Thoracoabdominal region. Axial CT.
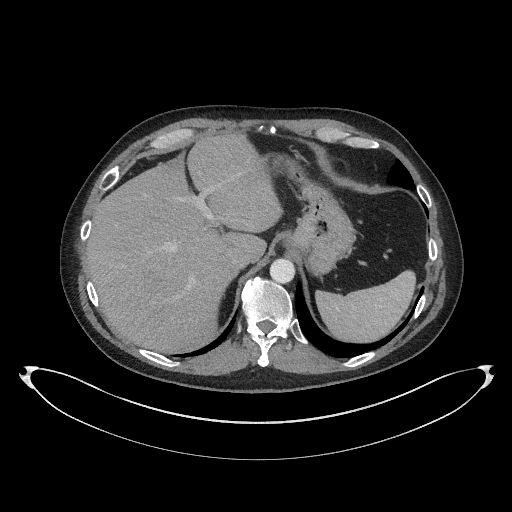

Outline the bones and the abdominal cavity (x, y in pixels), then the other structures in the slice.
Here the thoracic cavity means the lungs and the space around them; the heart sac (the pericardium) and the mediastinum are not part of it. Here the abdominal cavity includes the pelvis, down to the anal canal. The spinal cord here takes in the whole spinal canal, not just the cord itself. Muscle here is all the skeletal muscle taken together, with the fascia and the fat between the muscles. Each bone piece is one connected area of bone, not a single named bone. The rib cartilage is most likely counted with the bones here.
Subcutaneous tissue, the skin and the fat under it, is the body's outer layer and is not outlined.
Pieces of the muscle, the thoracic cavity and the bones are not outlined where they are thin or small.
The bones appear in 11 outlined pieces: piece 1: 262,367 266,366 269,362 267,351 270,346 279,337 287,338 289,331 302,343 307,344 308,340 299,327 288,292 279,284 255,276 248,279 244,284 241,292 241,311 245,317 246,332 260,346 261,354 257,362; inner edge: 265,333 266,333 267,332 270,331 275,326 275,325 273,323 270,322 268,320 264,320 263,321 261,321 260,322 257,323 257,325 259,327 259,328 261,330 262,330; piece 2: 359,148 379,148 380,144 373,139 368,139 359,136 354,136 351,135 348,132 343,131 335,127 322,127 317,129 315,131 316,138 322,141 336,142 339,140 341,143 343,143 346,145 349,145 352,147 358,147; piece 3: 158,149 160,148 169,147 170,145 172,145 181,139 183,139 186,137 189,137 193,135 193,130 190,128 179,128 178,129 172,130 171,131 166,132 163,134 158,135 154,139 149,142 149,146 150,147 155,147; piece 4: 103,191 109,189 112,186 113,186 119,179 119,178 120,177 119,176 120,171 119,170 119,166 118,165 115,165 113,167 112,167 110,169 109,169 103,175 103,176 100,181 100,184 99,185 99,188; piece 5: 167,366 177,366 180,364 180,362 179,361 174,361 161,354 159,354 156,352 150,351 149,350 147,350 143,348 139,348 138,349 138,351 142,355 145,356 147,358 151,360 153,360 160,364 166,365; piece 6: 349,367 353,367 354,366 356,366 368,360 370,358 374,356 376,352 374,350 372,350 371,351 366,352 363,354 361,354 360,355 358,355 357,356 355,356 354,357 347,359 342,363 342,365 344,366 348,366; piece 7: 428,209 429,208 430,208 430,207 431,206 431,199 430,198 429,193 426,189 426,188 423,185 422,185 420,183 418,183 417,184 416,184 416,191 417,192 418,195 420,197 421,200 425,204 425,205; piece 8: 96,307 97,307 99,305 98,304 97,295 96,294 95,289 93,286 93,284 91,282 91,281 90,280 89,280 88,281 87,281 87,283 86,284 86,289 87,290 87,293 88,294 88,296 89,297 91,302; piece 9: 411,319 415,319 421,312 421,311 424,306 424,304 425,303 425,300 426,299 426,296 424,293 423,293 421,295 421,296 419,298 417,303 415,305 415,307 414,308 414,310 413,311 413,313 412,314; piece 10: 432,261 433,261 434,260 435,260 435,259 436,258 436,257 437,256 437,245 436,244 436,242 435,241 435,240 433,238 431,238 430,237 429,238 429,239 428,240 428,257 429,258 429,259 430,260 431,260; piece 11: 82,241 85,241 87,239 87,238 89,235 89,231 90,230 90,228 91,227 91,221 90,220 90,219 87,219 84,222 83,222 83,223 81,226 81,228 80,229 80,238. The abdominal cavity is outlined by 164,355 215,339 240,311 244,282 276,254 298,264 306,304 326,335 346,343 381,339 407,316 425,278 429,237 418,197 412,190 340,175 315,140 281,129 273,135 214,129 138,153 96,206 88,265 112,327. The mediastinum appears in 2 outlined pieces: piece 1: 373,184 386,184 387,183 386,175 395,158 389,152 379,149 352,148 340,143 327,143 322,142 315,138 311,138 315,139 318,143 323,146 329,156 339,157 342,159 349,170 350,175 355,180 360,182 366,182; piece 2: 293,301 295,287 296,284 299,281 299,276 297,271 297,264 291,258 287,256 284,255 276,255 272,257 264,264 251,277 253,277 255,275 258,275 265,278 268,278 277,283 279,283 289,292 292,297. The pericardium is outlined by 347,176 350,176 348,173 348,170 346,168 346,167 345,166 344,163 342,161 342,160 341,160 339,158 331,158 330,157 329,157 330,162 333,166 334,169 338,173 339,173 340,174 342,174 343,175 346,175. The torso is outlined by 232,393 291,392 376,374 419,354 449,320 461,291 464,269 452,207 430,167 407,138 386,121 358,110 328,106 206,104 175,108 128,129 78,190 61,232 59,272 66,300 86,335 112,361 140,375 190,388. The spinal cord is outlined by 265,333 266,333 267,332 270,331 275,326 275,325 273,323 270,322 268,320 264,320 263,321 261,321 260,322 257,323 257,325 259,327 259,328 261,330 262,330. The thoracic cavity appears in 3 outlined pieces: piece 1: 344,358 376,349 389,341 406,324 411,316 413,308 404,321 395,330 381,340 371,344 346,344 326,336 315,325 305,304 301,285 299,282 296,287 293,303 295,315 299,321 303,333 311,343 325,353 335,357; piece 2: 417,195 415,191 415,184 413,182 409,172 399,160 395,159 395,161 390,168 388,172 388,174 387,175 387,181 388,183 392,185 397,185 398,186 404,187 408,189 412,189 414,191 414,192 416,193; piece 3: 172,359 173,358 183,358 188,356 198,355 204,353 218,345 225,339 233,328 235,324 235,321 236,320 236,317 238,314 238,312 238,313 237,314 236,314 232,318 224,331 222,332 222,333 215,340 197,350 194,350 188,353 178,354 175,356 166,356. The muscle is outlined by 198,375 253,371 261,367 256,362 259,346 245,332 240,312 237,319 241,319 243,328 239,333 235,325 212,350 173,359 181,364 167,367 142,356 137,351 139,346 111,327 99,306 96,308 87,296 85,284 90,278 86,241 79,238 82,222 91,219 101,196 98,185 102,175 115,164 121,171 138,152 153,148 148,146 150,140 179,127 200,133 263,124 268,131 273,124 315,137 317,128 335,126 377,140 380,149 399,159 414,182 427,188 432,199 429,236 437,242 438,256 433,262 428,260 425,306 415,320 410,319 397,335 375,350 374,357 353,368 341,365 346,359 325,354 309,342 302,344 289,332 287,339 279,338 268,351 267,366 286,372 320,374 352,370 380,359 414,336 443,306 446,273 437,204 399,149 334,119 196,117 170,123 137,139 103,169 83,208 75,239 80,266 78,291 84,314 102,336 140,360 165,370.